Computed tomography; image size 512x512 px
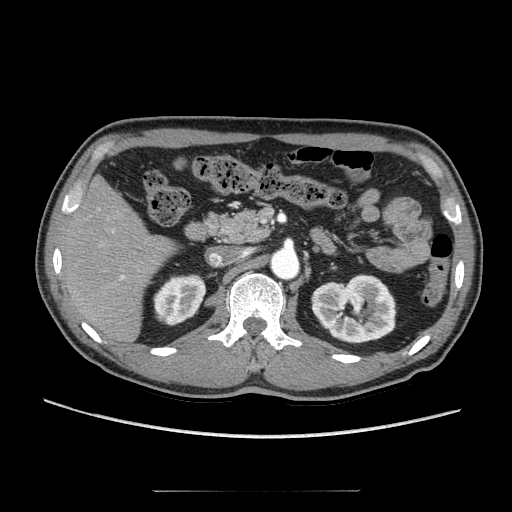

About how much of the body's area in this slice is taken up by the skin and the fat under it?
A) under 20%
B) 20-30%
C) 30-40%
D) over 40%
Answer: A) under 20%
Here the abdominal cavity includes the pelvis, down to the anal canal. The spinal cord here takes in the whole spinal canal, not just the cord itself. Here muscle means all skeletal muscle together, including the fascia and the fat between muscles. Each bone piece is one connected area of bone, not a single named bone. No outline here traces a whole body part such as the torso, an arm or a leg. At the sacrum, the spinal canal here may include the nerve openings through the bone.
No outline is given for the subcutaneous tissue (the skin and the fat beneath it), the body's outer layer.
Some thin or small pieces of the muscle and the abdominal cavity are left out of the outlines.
Outlines (x, y in pixels):
spinal cord: 250 317; 254 317; 255 318; 260 318; 264 320; 266 323; 266 326; 265 328; 263 329; 259 333; 255 335; 252 335; 250 334; 244 328; 243 326; 243 323; 244 321; 247 318; 249 318
muscle: 156 128; 193 128; 194 129; 218 131; 219 132; 246 132; 254 134; 280 134; 281 133; 297 133; 298 132; 312 133; 313 134; 318 133; 319 134; 320 133; 333 133; 334 132; 359 132; 360 133; 375 134; 395 141; 414 140; 422 143; 430 148; 435 152; 447 166; 456 183; 456 185; 462 196; 474 237; 475 254; 474 255; 474 266; 473 267; 471 286; 467 293; 465 304; 458 316; 456 324; 444 343; 434 353; 427 357; 423 359; 420 359; 404 367; 388 372; 371 380; 351 386; 343 386; 342 387; 335 386; 334 387; 326 387; 310 390; 294 390; 280 387; 268 382; 261 375; 257 374; 252 374; 245 380; 236 385; 219 388; 201 387; 194 385; 184 385; 177 383; 165 383; 147 378; 130 370; 123 368; 112 360; 103 356; 91 347; 82 343; 71 331; 70 328; 61 316; 57 305; 50 292; 48 286; 48 279; 44 269; 45 240; 53 208; 57 198; 75 164; 87 148; 94 141; 106 134; 113 132; 125 132; 126 133; 139 134; 141 131 with holes at 262 138; 340 151; 389 152; 421 166; 418 153; 431 158; 443 173; 433 180; 440 195; 454 197; 462 219; 458 225; 449 222; 453 276; 441 315; 401 349; 357 353; 360 360; 344 363; 331 355; 352 353; 304 331; 289 302; 279 323; 300 346; 276 350; 263 338; 253 344; 241 337; 226 347; 209 340; 229 321; 227 292; 221 286; 207 325; 170 342; 167 345; 177 350; 173 354; 152 354; 147 344; 120 343; 101 335; 105 342; 95 341; 81 326; 83 319; 52 260; 54 249; 62 247; 70 215; 61 211; 64 197; 78 178; 83 190; 87 186; 97 167; 90 163; 93 151; 110 142; 103 156; 107 158; 136 147; 182 148 and at 425 334; 429 334; 430 335; 430 338; 429 339; 428 342; 424 346; 423 346; 418 351; 417 351; 415 353; 414 353; 411 355; 408 355; 407 354; 404 354; 404 353; 405 352; 406 352; 411 347; 411 346; 420 337; 421 337 and at 460 259; 461 259; 463 261; 463 281; 462 282; 462 284; 461 285; 461 287; 459 289; 456 289; 456 287; 455 286; 455 267; 456 266; 456 264; 457 263; 457 262
abdominal cavity: 262 138; 389 152; 422 166; 439 190; 454 238; 453 276; 441 315; 401 349; 352 353; 304 331; 286 305; 282 285; 265 273; 246 271; 227 292; 218 289; 207 325; 167 345; 100 335; 68 294; 61 252; 66 222; 98 164; 136 147
bones 1: 246 272; 265 274; 281 285; 285 307; 280 315; 280 327; 287 335; 301 341; 300 346; 287 344; 276 350; 263 338; 253 344; 245 337; 241 337; 230 347; 226 347; 220 340; 207 338; 227 325; 230 316; 226 303; 227 293; 233 282 with a hole at 250 317; 254 317; 255 318; 260 318; 264 320; 266 323; 266 326; 265 328; 263 329; 259 333; 255 335; 252 335; 250 334; 244 328; 243 326; 243 323; 244 321; 247 318; 249 318
bones 2: 78 178; 81 178; 82 179; 82 189; 83 190; 83 192; 79 200; 79 203; 77 207; 76 207; 75 209; 71 212; 71 213; 69 214; 63 213; 61 211; 61 207; 62 206; 62 203; 63 202; 64 197; 65 195; 70 190; 70 189
bones 3: 450 194; 451 194; 454 197; 456 202; 459 205; 459 208; 461 212; 461 218; 462 220; 461 221; 461 223; 458 225; 456 225; 454 223; 449 221; 445 217; 442 211; 442 202; 441 201; 442 196; 443 197; 445 197
bones 4: 418 153; 421 153; 422 154; 424 154; 428 157; 431 158; 439 166; 439 167; 441 169; 441 170; 443 173; 443 177; 442 178; 440 178; 439 179; 437 179; 436 180; 435 179; 434 179; 422 165; 422 161; 420 159; 420 158; 418 155
bones 5: 106 142; 110 142; 110 145; 109 146; 107 151; 104 154; 102 159; 96 165; 94 165; 93 164; 91 164; 90 163; 90 158; 91 157; 91 155; 92 154; 93 151; 99 145; 100 145; 103 143; 105 143
bones 6: 334 353; 348 353; 349 354; 356 354; 357 355; 359 355; 360 356; 361 356; 362 357; 362 358; 360 360; 359 360; 358 361; 356 361; 355 362; 349 362; 348 363; 344 363; 343 362; 338 361; 337 360; 332 358; 331 357; 331 355
bones 7: 425 334; 429 334; 430 335; 430 338; 429 339; 428 342; 424 346; 423 346; 418 351; 417 351; 415 353; 414 353; 411 355; 408 355; 407 354; 404 354; 404 353; 405 352; 406 352; 411 347; 411 346; 420 337; 421 337
bones 8: 460 259; 461 259; 463 261; 463 281; 462 282; 462 284; 461 285; 461 287; 459 289; 456 289; 456 287; 455 286; 455 267; 456 266; 456 264; 457 263; 457 262
bones 9: 161 346; 168 346; 169 347; 175 347; 176 348; 176 349; 177 350; 176 351; 176 352; 175 352; 173 354; 169 354; 168 355; 157 355; 156 354; 152 354; 149 351; 150 350; 150 349; 152 347; 160 347
bones 10: 56 247; 58 247; 60 249; 60 252; 61 253; 61 271; 60 272; 60 274; 56 274; 55 273; 55 272; 54 271; 54 268; 53 267; 53 261; 52 260; 52 258; 53 257; 53 252; 54 251; 54 249
bones 11: 83 320; 85 322; 86 322; 90 326; 91 326; 95 330; 95 331; 100 336; 100 337; 104 341; 105 341; 105 342; 103 342; 102 343; 99 343; 98 342; 97 342; 96 341; 95 341; 83 329; 83 328; 81 326; 81 322